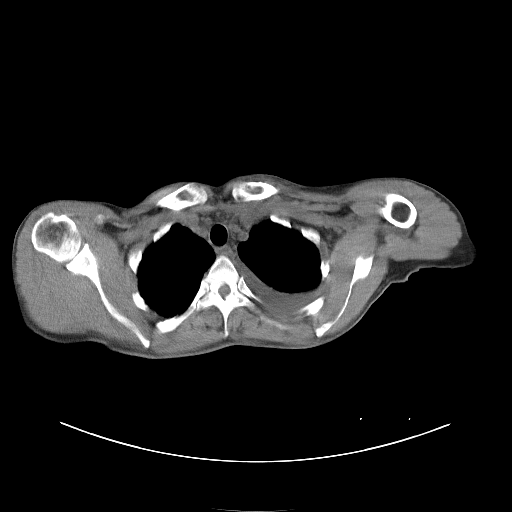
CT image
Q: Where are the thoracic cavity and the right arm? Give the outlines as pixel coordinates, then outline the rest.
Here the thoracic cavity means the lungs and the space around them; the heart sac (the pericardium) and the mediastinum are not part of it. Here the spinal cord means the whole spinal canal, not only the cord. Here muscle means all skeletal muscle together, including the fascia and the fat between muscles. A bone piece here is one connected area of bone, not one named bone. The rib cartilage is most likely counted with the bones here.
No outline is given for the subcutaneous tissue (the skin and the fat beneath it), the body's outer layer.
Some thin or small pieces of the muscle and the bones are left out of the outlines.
A: The thoracic cavity appears in 2 outlined pieces: piece 1: (268, 218) (274, 223) (298, 230) (304, 238) (310, 241) (318, 249) (320, 259) (319, 270) (323, 282) (322, 292) (318, 297) (285, 315) (275, 313) (262, 303) (261, 299) (247, 285) (244, 276) (240, 274) (234, 263) (239, 259) (239, 243) (246, 241) (249, 238) (253, 226); piece 2: (178, 222) (205, 240) (212, 249) (215, 257) (212, 263) (203, 274) (200, 280) (199, 286) (188, 305) (180, 313) (164, 318) (155, 310) (152, 309) (141, 295) (138, 287) (137, 273) (139, 265) (142, 260) (143, 252) (148, 246) (152, 243) (155, 243) (165, 235) (173, 224). The right arm is outlined by (58, 198) (102, 200) (116, 204) (118, 206) (98, 229) (96, 236) (90, 242) (87, 251) (79, 264) (77, 272) (63, 292) (42, 308) (21, 318) (18, 309) (18, 305) (13, 288) (11, 276) (10, 260) (11, 259) (11, 250) (14, 234) (24, 216) (34, 206) (42, 202). The torso is outlined by (244, 173) (273, 174) (308, 185) (347, 182) (365, 217) (395, 248) (425, 267) (406, 281) (391, 284) (349, 331) (306, 349) (234, 345) (190, 357) (146, 359) (94, 342) (55, 343) (25, 327) (22, 318) (69, 286) (99, 229) (119, 205) (131, 205) (176, 180) (217, 185). The left arm is outlined by (375, 176) (401, 176) (411, 178) (433, 187) (449, 198) (462, 214) (468, 233) (475, 245) (477, 251) (477, 256) (475, 261) (465, 267) (426, 268) (424, 265) (415, 258) (395, 247) (385, 233) (374, 222) (367, 218) (364, 213) (360, 210) (348, 184) (348, 181). The mediastinum is outlined by (249, 206) (259, 207) (263, 214) (268, 217) (259, 223) (253, 225) (249, 231) (248, 238) (238, 243) (237, 245) (238, 259) (235, 261) (233, 261) (224, 253) (220, 253) (216, 255) (211, 246) (205, 239) (193, 232) (187, 226) (180, 222) (182, 218) (190, 212) (233, 210). The muscle is outlined by (250, 177) (322, 193) (341, 193) (366, 181) (409, 181) (455, 214) (462, 234) (451, 254) (392, 261) (359, 313) (340, 330) (324, 335) (374, 259) (358, 254) (344, 300) (333, 318) (314, 327) (317, 338) (288, 344) (228, 337) (235, 308) (252, 310) (256, 302) (279, 316) (295, 312) (317, 318) (325, 302) (320, 295) (331, 267) (320, 258) (320, 234) (303, 225) (296, 229) (257, 205) (190, 211) (160, 225) (143, 251) (127, 256) (137, 276) (131, 299) (163, 318) (154, 323) (158, 333) (171, 332) (195, 311) (214, 306) (222, 317) (221, 340) (156, 353) (92, 331) (49, 331) (28, 315) (16, 279) (16, 251) (26, 221) (40, 207) (94, 203) (120, 214) (183, 184) (155, 202) (179, 211) (207, 201) (198, 184) (217, 192) with holes at (49, 211) (58, 215) (66, 214) (74, 221) (82, 242) (88, 243) (97, 258) (100, 283) (106, 297) (149, 340) (147, 348) (142, 345) (128, 328) (108, 312) (96, 286) (86, 276) (72, 273) (66, 268) (64, 262) (58, 262) (34, 248) (31, 241) (32, 228) (38, 218) and at (389, 192) (398, 193) (404, 196) (414, 205) (417, 211) (417, 216) (416, 217) (415, 222) (413, 225) (410, 227) (408, 228) (401, 228) (400, 227) (395, 226) (386, 220) (378, 212) (378, 208) (380, 206) (382, 206) (385, 202) (385, 200) (384, 199) (384, 196) (385, 194) and at (238, 181) (262, 181) (263, 182) (266, 182) (275, 186) (278, 189) (278, 192) (275, 194) (271, 195) (267, 198) (265, 198) (261, 200) (252, 200) (251, 201) (247, 201) (246, 202) (242, 201) (240, 198) (237, 200) (235, 200) (231, 194) (231, 191) (232, 190) (233, 185) and at (261, 315) (263, 315) (268, 318) (270, 318) (276, 321) (278, 321) (283, 324) (285, 324) (287, 325) (289, 327) (287, 329) (282, 329) (281, 328) (279, 328) (277, 326) (271, 323) (269, 323) (263, 319) (261, 319) (260, 318) (260, 316) and at (98, 214) (102, 214) (104, 216) (104, 220) (102, 222) (101, 222) (100, 223) (99, 223) (98, 222) (97, 222) (96, 221) (96, 220) (95, 219) (95, 218) (96, 217) (96, 216). The spinal cord is outlined by (225, 284) (226, 285) (227, 285) (228, 286) (228, 288) (229, 289) (229, 291) (228, 292) (228, 293) (226, 295) (225, 295) (223, 297) (219, 293) (219, 288) (221, 286) (222, 286) (223, 285) (224, 285). The bones appear in 14 outlined pieces: piece 1: (49, 211) (58, 215) (66, 214) (74, 221) (82, 242) (88, 243) (97, 258) (100, 283) (106, 297) (149, 340) (147, 348) (142, 345) (128, 328) (108, 312) (96, 286) (86, 276) (72, 273) (66, 268) (64, 262) (58, 262) (34, 248) (31, 241) (32, 228) (38, 218); piece 2: (220, 254) (226, 255) (233, 262) (239, 274) (243, 276) (246, 285) (261, 302) (256, 301) (252, 309) (245, 306) (235, 307) (227, 317) (229, 333) (225, 338) (223, 317) (214, 305) (195, 310) (171, 331) (158, 332) (155, 323) (180, 314) (189, 305) (204, 274) (216, 256), around a hole outlined by (225, 284) (226, 285) (227, 285) (228, 286) (228, 288) (229, 289) (229, 291) (228, 292) (228, 293) (226, 295) (225, 295) (223, 297) (219, 293) (219, 288) (221, 286) (222, 286) (223, 285) (224, 285); piece 3: (389, 192) (398, 193) (404, 196) (414, 205) (417, 211) (417, 216) (416, 217) (415, 222) (413, 225) (410, 227) (408, 228) (401, 228) (400, 227) (395, 226) (386, 220) (378, 212) (378, 208) (380, 206) (382, 206) (385, 202) (385, 200) (384, 199) (384, 196) (385, 194); piece 4: (188, 182) (194, 182) (196, 183) (198, 186) (202, 187) (205, 190) (207, 194) (207, 199) (204, 203) (202, 204) (196, 204) (195, 205) (192, 205) (191, 206) (189, 206) (179, 210) (173, 210) (170, 208) (161, 207) (156, 205) (156, 202) (160, 198) (172, 192) (177, 188); piece 5: (358, 255) (362, 255) (365, 257) (369, 255) (373, 255) (370, 270) (365, 278) (359, 279) (353, 284) (347, 304) (338, 320) (321, 337) (318, 337) (315, 334) (314, 330) (315, 327) (319, 326) (324, 322) (333, 319) (341, 308) (345, 300) (353, 274) (355, 259); piece 6: (238, 181) (262, 181) (263, 182) (266, 182) (275, 186) (278, 189) (278, 192) (275, 194) (271, 195) (267, 198) (265, 198) (261, 200) (252, 200) (251, 201) (247, 201) (246, 202) (242, 201) (240, 198) (237, 200) (235, 200) (231, 194) (231, 191) (232, 190) (233, 185); piece 7: (320, 296) (323, 296) (324, 298) (324, 302) (323, 303) (323, 305) (322, 307) (320, 309) (318, 313) (318, 316) (317, 317) (314, 317) (312, 315) (304, 315) (303, 313) (301, 313) (300, 314) (296, 312) (296, 311) (298, 309) (308, 304) (310, 302) (318, 298); piece 8: (138, 249) (142, 249) (142, 255) (141, 256) (141, 260) (140, 261) (140, 262) (138, 265) (138, 267) (137, 268) (137, 272) (136, 273) (136, 274) (135, 274) (131, 269) (131, 268) (128, 263) (128, 256) (130, 253) (131, 253) (132, 252) (133, 252); piece 9: (302, 226) (303, 226) (306, 228) (311, 228) (312, 229) (315, 230) (319, 234) (319, 237) (320, 238) (319, 239) (319, 247) (318, 248) (310, 240) (307, 239) (305, 237) (304, 237) (303, 236) (303, 235) (301, 233) (301, 232) (300, 231) (300, 228); piece 10: (137, 290) (139, 292) (140, 295) (143, 298) (144, 301) (148, 305) (148, 306) (149, 307) (149, 310) (148, 311) (145, 311) (144, 310) (143, 310) (142, 309) (141, 309) (140, 308) (137, 307) (135, 305) (135, 304) (132, 299) (132, 293); piece 11: (169, 221) (172, 222) (172, 225) (170, 227) (170, 228) (168, 230) (168, 231) (165, 234) (164, 234) (158, 240) (157, 240) (155, 242) (153, 242) (153, 241) (152, 240) (152, 239) (153, 238) (153, 234) (159, 228) (159, 227) (160, 226) (161, 226) (163, 224) (164, 224); piece 12: (321, 259) (323, 259) (324, 260) (328, 260) (329, 261) (329, 266) (330, 267) (330, 268) (329, 269) (329, 272) (328, 273) (328, 276) (325, 279) (324, 279) (323, 280) (322, 280) (322, 276) (321, 275) (321, 271) (320, 270) (320, 262) (321, 261); piece 13: (270, 214) (275, 214) (281, 218) (284, 218) (285, 219) (287, 219) (290, 222) (290, 223) (291, 224) (292, 227) (287, 227) (286, 226) (284, 226) (283, 225) (282, 225) (279, 223) (277, 223) (276, 222) (274, 222) (272, 220) (271, 220) (271, 219) (269, 217); piece 14: (261, 315) (263, 315) (268, 318) (270, 318) (276, 321) (278, 321) (283, 324) (285, 324) (287, 325) (289, 327) (287, 329) (282, 329) (281, 328) (279, 328) (277, 326) (271, 323) (269, 323) (263, 319) (261, 319) (260, 318) (260, 316).